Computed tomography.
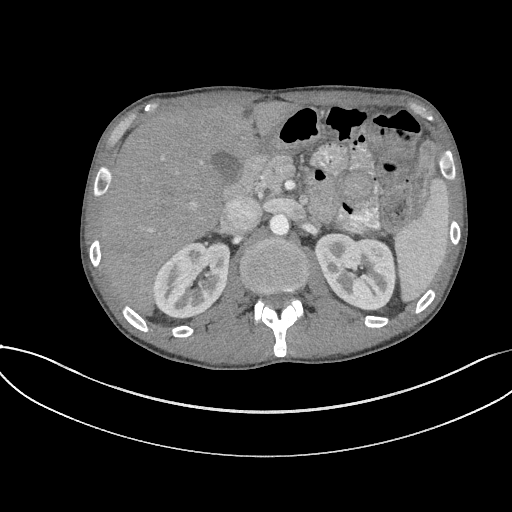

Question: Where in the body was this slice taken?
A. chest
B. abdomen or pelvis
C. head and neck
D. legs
Answer: B. abdomen or pelvis
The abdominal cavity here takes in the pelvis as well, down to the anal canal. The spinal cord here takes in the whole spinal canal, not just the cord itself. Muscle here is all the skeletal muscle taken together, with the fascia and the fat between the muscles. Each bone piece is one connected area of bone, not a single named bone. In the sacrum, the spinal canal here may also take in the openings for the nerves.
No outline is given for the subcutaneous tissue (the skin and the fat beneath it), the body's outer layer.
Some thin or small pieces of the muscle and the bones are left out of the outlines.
The bones appear in 11 outlined pieces: piece 1: (277, 357) (283, 357) (286, 354) (286, 329) (304, 314) (301, 301) (294, 295) (305, 287) (308, 268) (304, 253) (293, 242) (281, 238) (265, 238) (244, 250) (239, 268) (245, 285) (258, 295) (253, 306) (254, 322) (256, 324) (261, 321) (273, 330) (275, 336) (273, 351), around a hole outlined by (274, 309) (281, 309) (285, 306) (286, 306) (289, 303) (289, 302) (290, 301) (290, 299) (291, 298) (291, 294) (290, 294) (289, 293) (287, 293) (286, 292) (276, 292) (275, 293) (272, 293) (271, 294) (265, 294) (264, 295) (263, 295) (263, 300) (264, 301) (265, 304); piece 2: (449, 180) (452, 180) (455, 178) (455, 176) (456, 175) (456, 168) (455, 167) (455, 164) (454, 163) (454, 160) (453, 159) (451, 151) (448, 149) (446, 149) (444, 150) (440, 154) (438, 158) (438, 163) (440, 167) (440, 170) (441, 171) (441, 173) (446, 179) (448, 179); piece 3: (95, 196) (100, 196) (101, 195) (102, 195) (106, 191) (106, 190) (107, 189) (107, 188) (110, 183) (110, 181) (111, 180) (109, 177) (109, 168) (106, 166) (101, 166) (99, 168) (99, 169) (96, 174) (96, 176) (94, 179) (94, 182) (93, 183) (93, 194); piece 4: (111, 147) (113, 146) (118, 141) (119, 138) (124, 132) (124, 131) (132, 123) (132, 122) (135, 119) (136, 117) (136, 115) (134, 113) (130, 113) (128, 115) (124, 117) (113, 128) (113, 129) (111, 131) (107, 139) (107, 144); piece 5: (145, 332) (146, 332) (149, 329) (148, 328) (148, 326) (145, 320) (143, 318) (142, 318) (141, 316) (140, 316) (134, 310) (133, 310) (128, 305) (126, 304) (122, 308) (122, 313) (124, 317) (127, 320) (127, 321) (134, 327) (142, 331) (144, 331); piece 6: (415, 313) (419, 313) (421, 311) (422, 311) (424, 309) (425, 309) (431, 303) (431, 302) (433, 300) (433, 299) (435, 296) (435, 292) (433, 289) (432, 289) (431, 288) (428, 289) (417, 301) (417, 302) (416, 303) (416, 305) (415, 306) (415, 308) (414, 309) (414, 312); piece 7: (95, 267) (97, 267) (99, 265) (99, 263) (100, 262) (100, 259) (101, 258) (101, 252) (100, 251) (100, 244) (99, 243) (99, 240) (97, 238) (94, 239) (92, 241) (89, 247) (89, 258) (90, 259) (90, 261) (91, 263) (93, 265) (93, 266); piece 8: (368, 327) (380, 327) (381, 326) (383, 326) (384, 325) (385, 325) (389, 321) (389, 318) (388, 317) (387, 317) (386, 316) (377, 316) (376, 315) (366, 315) (364, 317) (364, 323) (365, 324) (365, 325) (366, 326) (367, 326); piece 9: (176, 337) (187, 337) (188, 336) (189, 336) (192, 334) (192, 333) (193, 332) (193, 329) (191, 327) (190, 327) (187, 325) (179, 325) (178, 326) (174, 326) (173, 327) (172, 327) (170, 329) (170, 330) (171, 331) (171, 333) (172, 334) (172, 335) (173, 335); piece 10: (454, 245) (457, 244) (459, 242) (459, 240) (460, 239) (460, 229) (459, 228) (459, 226) (458, 225) (457, 222) (455, 220) (454, 220) (453, 219) (450, 221) (450, 228) (449, 229) (450, 230) (449, 231) (449, 233) (450, 234) (450, 240) (451, 241) (451, 242); piece 11: (429, 121) (432, 121) (433, 120) (433, 116) (429, 112) (428, 112) (427, 111) (427, 110) (425, 107) (424, 107) (419, 104) (417, 104) (414, 102) (410, 102) (409, 103) (410, 104) (410, 107) (411, 107) (412, 108) (412, 109) (413, 109) (416, 113) (421, 115). The torso is outlined by (212, 370) (246, 370) (281, 362) (316, 364) (354, 359) (403, 341) (437, 314) (464, 257) (468, 209) (463, 167) (455, 139) (444, 117) (429, 100) (399, 87) (208, 85) (144, 95) (110, 120) (96, 143) (82, 198) (79, 249) (88, 284) (110, 321) (132, 342) (165, 359). The spinal cord is outlined by (274, 309) (281, 309) (285, 306) (286, 306) (289, 303) (289, 302) (290, 301) (290, 299) (291, 298) (291, 294) (290, 294) (289, 293) (287, 293) (286, 292) (276, 292) (275, 293) (272, 293) (271, 294) (265, 294) (264, 295) (263, 295) (263, 300) (264, 301) (265, 304). The abdominal cavity is outlined by (171, 327) (216, 304) (233, 254) (265, 237) (309, 247) (332, 295) (365, 315) (389, 317) (414, 302) (434, 280) (449, 241) (449, 191) (428, 121) (404, 107) (308, 105) (280, 98) (176, 108) (135, 121) (114, 149) (100, 218) (101, 261) (127, 304) (146, 320). The muscle is outlined by (213, 364) (276, 357) (272, 330) (253, 322) (257, 295) (239, 274) (243, 250) (232, 257) (220, 301) (187, 324) (194, 329) (187, 338) (176, 338) (170, 327) (148, 321) (146, 333) (130, 325) (121, 313) (125, 301) (103, 265) (95, 268) (89, 261) (88, 247) (99, 238) (108, 190) (95, 197) (92, 183) (101, 165) (110, 167) (115, 145) (109, 147) (106, 139) (112, 128) (130, 112) (137, 115) (136, 120) (170, 108) (262, 97) (322, 105) (404, 106) (413, 111) (408, 103) (414, 101) (427, 108) (434, 116) (429, 122) (437, 136) (437, 163) (439, 154) (448, 148) (457, 168) (454, 180) (444, 179) (450, 191) (450, 220) (460, 226) (460, 242) (448, 244) (428, 288) (436, 292) (432, 303) (415, 314) (416, 301) (380, 328) (366, 327) (363, 314) (336, 300) (314, 253) (300, 248) (309, 275) (304, 290) (295, 295) (305, 314) (287, 329) (286, 357) (325, 357) (357, 351) (408, 330) (434, 308) (449, 280) (461, 246) (461, 183) (449, 136) (429, 106) (403, 95) (356, 91) (223, 90) (154, 98) (113, 124) (98, 152) (88, 192) (84, 236) (91, 274) (116, 318) (131, 333) (166, 351), around a hole outlined by (146, 112) (147, 112) (148, 111) (150, 111) (151, 110) (152, 110) (154, 108) (155, 108) (156, 107) (156, 106) (157, 105) (157, 104) (156, 103) (147, 103) (145, 105) (145, 106) (144, 107) (144, 111) (145, 111).